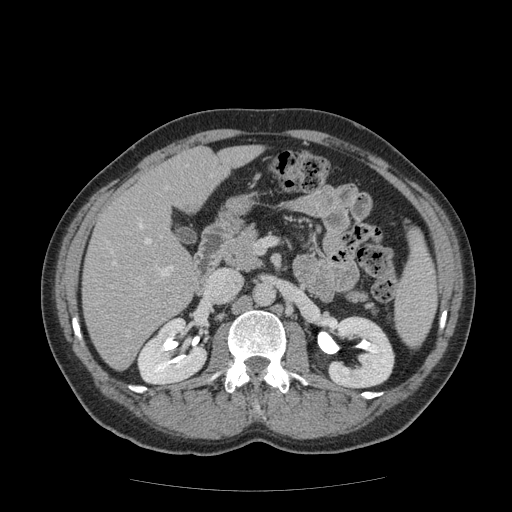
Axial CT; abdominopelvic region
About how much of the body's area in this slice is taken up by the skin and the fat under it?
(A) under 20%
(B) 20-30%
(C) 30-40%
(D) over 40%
Answer: (A) under 20%
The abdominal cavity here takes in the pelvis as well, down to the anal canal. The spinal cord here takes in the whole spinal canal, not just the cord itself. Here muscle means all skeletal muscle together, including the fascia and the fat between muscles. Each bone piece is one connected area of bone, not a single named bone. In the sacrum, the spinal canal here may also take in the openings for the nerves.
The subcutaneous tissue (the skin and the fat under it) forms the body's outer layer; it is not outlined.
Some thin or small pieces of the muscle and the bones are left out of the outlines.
Outlines (x, y in pixels):
spinal cord: (253, 356) (259, 356) (260, 357) (263, 357) (264, 358) (266, 358) (268, 359) (269, 361) (266, 367) (258, 373) (255, 373) (251, 371) (248, 371) (248, 368) (245, 363) (245, 361) (248, 358) (250, 357) (252, 357)
muscle: (219, 128) (231, 128) (246, 131) (283, 131) (290, 129) (308, 129) (327, 133) (352, 144) (355, 144) (380, 157) (387, 162) (391, 166) (390, 169) (391, 171) (397, 176) (406, 177) (419, 185) (429, 193) (443, 209) (456, 231) (459, 248) (461, 252) (461, 262) (464, 277) (463, 281) (464, 287) (463, 288) (463, 296) (461, 300) (461, 306) (458, 311) (456, 325) (453, 334) (448, 341) (447, 347) (442, 357) (425, 378) (419, 388) (412, 395) (390, 409) (386, 410) (381, 415) (376, 417) (375, 419) (360, 429) (332, 437) (319, 437) (313, 439) (294, 439) (288, 436) (276, 433) (259, 422) (254, 422) (246, 427) (241, 432) (229, 437) (224, 437) (221, 439) (184, 438) (180, 436) (174, 436) (150, 427) (146, 423) (137, 417) (135, 417) (121, 405) (112, 400) (107, 399) (94, 385) (90, 373) (76, 356) (71, 348) (71, 344) (66, 340) (64, 336) (63, 330) (59, 323) (57, 309) (54, 299) (55, 271) (58, 254) (63, 237) (67, 231) (67, 227) (72, 221) (76, 213) (98, 189) (118, 177) (125, 176) (126, 173) (140, 160) (153, 151) (157, 150) (175, 140) (184, 138) (195, 133) with holes at (236, 136) (353, 153) (424, 221) (445, 326) (383, 394) (366, 399) (310, 371) (293, 320) (281, 362) (308, 384) (292, 378) (285, 393) (263, 381) (228, 392) (223, 375) (206, 382) (233, 359) (229, 322) (199, 375) (142, 393) (74, 335) (84, 247) (110, 200) (167, 156) and at (257, 403) (258, 404) (259, 405) (260, 406) (260, 407) (260, 408) (261, 409) (261, 410) (262, 411) (262, 412) (262, 413) (261, 413) (260, 413) (259, 413) (258, 412) (257, 411) (256, 411) (255, 410) (255, 409) (254, 408) (254, 407) (254, 406) (255, 405) (256, 404)
bones 1: (252, 309) (269, 311) (280, 319) (287, 340) (282, 365) (303, 376) (308, 381) (307, 385) (292, 378) (287, 392) (283, 393) (263, 381) (257, 385) (250, 381) (228, 392) (223, 375) (210, 383) (206, 382) (213, 373) (229, 366) (233, 356) (227, 344) (228, 329) (236, 317); inner edge: (253, 356) (259, 356) (260, 357) (263, 357) (264, 358) (266, 358) (268, 359) (269, 361) (266, 367) (258, 373) (255, 373) (251, 371) (248, 371) (248, 368) (245, 363) (245, 361) (248, 358) (250, 357) (252, 357)
bones 2: (74, 316) (77, 316) (77, 317) (78, 318) (78, 322) (79, 323) (79, 325) (80, 326) (80, 331) (82, 334) (82, 337) (83, 338) (83, 346) (82, 346) (81, 345) (80, 342) (77, 339) (77, 338) (74, 335) (74, 332) (73, 331) (73, 328) (72, 327) (72, 318)
bones 3: (367, 390) (369, 390) (370, 391) (380, 391) (381, 390) (383, 390) (384, 391) (384, 392) (383, 393) (383, 394) (382, 394) (379, 396) (374, 397) (371, 399) (366, 399) (365, 398) (360, 396) (359, 395) (359, 394) (361, 392) (362, 392) (363, 391) (366, 391)
abdominal cavity: (236, 136) (289, 136) (353, 153) (421, 216) (437, 265) (439, 317) (431, 348) (399, 384) (360, 392) (310, 371) (302, 326) (257, 308) (221, 323) (211, 337) (205, 369) (178, 383) (150, 388) (126, 384) (94, 357) (81, 329) (77, 293) (84, 247) (99, 214) (167, 156)
torso: (229, 107) (313, 108) (366, 126) (435, 183) (464, 226) (476, 278) (475, 305) (464, 351) (429, 405) (388, 440) (339, 454) (297, 454) (261, 441) (209, 456) (155, 452) (92, 419) (51, 353) (41, 316) (40, 279) (49, 240) (68, 205) (94, 175) (151, 130) (192, 112)